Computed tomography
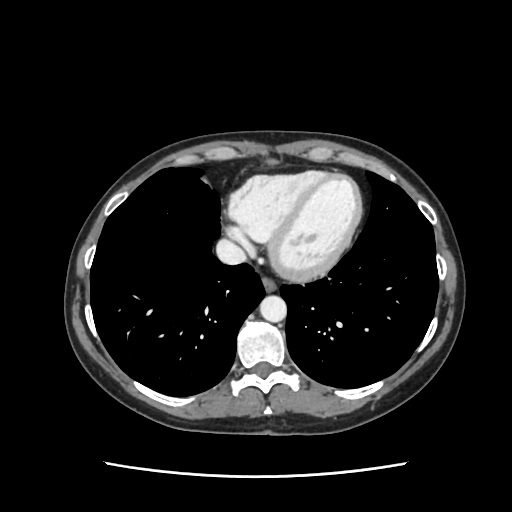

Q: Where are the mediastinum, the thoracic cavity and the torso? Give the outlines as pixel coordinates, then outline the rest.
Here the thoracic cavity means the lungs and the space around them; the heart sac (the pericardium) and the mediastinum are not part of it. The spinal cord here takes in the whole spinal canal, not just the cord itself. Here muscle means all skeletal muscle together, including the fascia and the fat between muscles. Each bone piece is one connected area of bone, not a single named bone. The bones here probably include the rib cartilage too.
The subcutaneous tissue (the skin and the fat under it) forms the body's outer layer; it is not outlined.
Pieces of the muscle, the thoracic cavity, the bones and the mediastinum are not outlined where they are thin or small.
A: The mediastinum appears in 3 outlined pieces: piece 1: (356, 241) (366, 223) (372, 194) (369, 172) (366, 170) (336, 162) (316, 162) (281, 152) (224, 162) (207, 161) (203, 166) (200, 177) (216, 191) (219, 199) (222, 199) (226, 188) (239, 168) (242, 165) (257, 161) (318, 164) (341, 169) (357, 180) (365, 199) (365, 219); piece 2: (282, 335) (285, 334) (284, 332) (284, 322) (286, 315) (286, 305) (279, 294) (279, 287) (281, 285) (260, 276) (254, 271) (258, 275) (262, 282) (262, 285) (264, 289) (264, 297) (254, 310) (244, 320) (241, 327) (248, 320) (254, 320) (255, 319) (264, 320) (276, 326); piece 3: (251, 267) (247, 259) (247, 257) (241, 247) (237, 243) (229, 239) (226, 236) (226, 235) (222, 231) (219, 224) (219, 236) (217, 240) (215, 242) (215, 244) (213, 247) (213, 255) (214, 257) (219, 262) (225, 265) (232, 266) (233, 265) (235, 265) (239, 263) (247, 263). The thoracic cavity appears in 2 outlined pieces: piece 1: (180, 397) (197, 394) (227, 375) (236, 355) (240, 326) (263, 297) (261, 282) (247, 264) (225, 266) (212, 255) (218, 236) (219, 200) (215, 191) (199, 177) (204, 163) (162, 169) (138, 186) (106, 219) (89, 272) (89, 299) (96, 329) (114, 361) (132, 379) (161, 393); piece 2: (337, 388) (360, 387) (394, 373) (411, 357) (434, 315) (439, 282) (435, 263) (433, 227) (399, 186) (372, 172) (370, 172) (370, 178) (373, 194) (368, 219) (358, 241) (327, 277) (307, 284) (284, 284) (280, 287) (280, 294) (287, 305) (285, 332) (290, 357) (310, 378). The torso is outlined by (272, 436) (324, 435) (355, 428) (400, 407) (433, 379) (455, 343) (464, 314) (465, 270) (458, 240) (445, 208) (422, 177) (397, 156) (365, 140) (282, 129) (224, 131) (185, 138) (130, 166) (107, 188) (84, 220) (66, 270) (66, 333) (87, 374) (130, 410) (183, 431). The muscle is outlined by (186, 419) (226, 418) (227, 417) (243, 417) (244, 416) (248, 416) (250, 418) (261, 417) (264, 415) (262, 412) (267, 405) (271, 408) (273, 412) (270, 415) (282, 415) (286, 412) (291, 412) (298, 414) (305, 414) (320, 418) (335, 417) (340, 414) (352, 412) (360, 408) (369, 401) (372, 400) (373, 401) (380, 398) (405, 381) (418, 370) (440, 348) (450, 330) (453, 318) (453, 312) (454, 311) (453, 304) (455, 301) (455, 293) (456, 292) (456, 285) (457, 284) (456, 263) (452, 252) (450, 250) (443, 234) (443, 230) (439, 217) (435, 208) (429, 199) (397, 171) (375, 156) (365, 153) (353, 147) (350, 147) (340, 143) (323, 139) (304, 139) (303, 140) (296, 140) (295, 141) (291, 141) (286, 143) (279, 143) (278, 144) (271, 144) (270, 143) (265, 143) (252, 140) (215, 140) (214, 141) (204, 142) (178, 150) (164, 156) (134, 178) (130, 179) (118, 186) (110, 194) (102, 206) (81, 247) (79, 249) (76, 259) (74, 296) (71, 307) (72, 311) (72, 324) (78, 340) (85, 351) (112, 378) (117, 381) (126, 392) (135, 398) (141, 400) (148, 405) (152, 406) (161, 411) (174, 416), around holes outlined by (172, 407) (196, 400) (196, 394) (219, 382) (236, 355) (245, 372) (238, 380) (231, 379) (233, 396) (247, 386) (267, 394) (277, 383) (297, 391) (300, 376) (282, 367) (284, 334) (292, 360) (310, 378) (336, 387) (336, 396) (356, 400) (380, 389) (382, 379) (415, 351) (422, 351) (438, 327) (435, 299) (447, 265) (435, 249) (433, 227) (438, 219) (433, 208) (421, 199) (414, 202) (384, 164) (343, 152) (338, 155) (342, 160) (364, 170) (281, 152) (230, 160) (235, 151) (221, 147) (205, 152) (205, 156) (228, 161) (202, 163) (204, 160) (195, 155) (177, 157) (173, 167) (156, 172) (131, 193) (120, 190) (113, 194) (104, 206) (107, 218) (98, 241) (86, 249) (83, 258) (89, 272) (85, 321) (138, 391) and by (316, 159) (317, 158) (318, 159) (322, 159) (323, 158) (327, 158) (328, 157) (330, 157) (332, 154) (332, 151) (329, 149) (326, 149) (325, 148) (316, 148) (315, 149) (313, 149) (309, 152) (309, 154) (310, 155) (311, 155) (312, 156) (312, 157) (313, 157). The spinal cord is outlined by (263, 378) (264, 378) (265, 377) (266, 377) (266, 376) (271, 371) (272, 371) (275, 369) (274, 368) (273, 368) (268, 363) (267, 363) (266, 362) (260, 362) (259, 363) (258, 363) (252, 369) (251, 369) (250, 370) (249, 370) (249, 372) (255, 372) (257, 374) (258, 374). The pericardium is outlined by (281, 284) (307, 283) (327, 276) (355, 243) (354, 240) (364, 219) (364, 199) (362, 190) (356, 180) (350, 175) (338, 169) (318, 165) (289, 165) (257, 162) (242, 166) (232, 179) (223, 196) (223, 199) (220, 200) (219, 223) (227, 236) (242, 247) (254, 270) (260, 275). The bones appear in 12 outlined pieces: piece 1: (235, 397) (247, 386) (254, 386) (264, 394) (267, 394) (277, 383) (285, 384) (295, 392) (300, 387) (300, 376) (295, 372) (289, 374) (282, 367) (285, 356) (283, 337) (276, 327) (267, 322) (248, 321) (237, 335) (237, 356) (245, 372) (238, 380) (230, 381) (231, 393); inner edge: (263, 378) (264, 378) (265, 377) (266, 377) (266, 376) (271, 371) (272, 371) (275, 369) (274, 368) (273, 368) (268, 363) (267, 363) (266, 362) (260, 362) (259, 363) (258, 363) (252, 369) (251, 369) (250, 370) (249, 370) (249, 372) (255, 372) (257, 374) (258, 374); piece 2: (172, 407) (182, 407) (196, 400) (197, 397) (195, 395) (193, 396) (190, 396) (189, 397) (186, 397) (185, 398) (167, 396) (166, 395) (161, 394) (158, 392) (156, 392) (133, 380) (132, 384) (138, 391) (155, 401) (157, 401) (162, 404) (164, 404) (168, 406) (171, 406); piece 3: (392, 182) (396, 182) (396, 178) (384, 164) (378, 163) (369, 159) (366, 159) (352, 154) (348, 154) (343, 152) (342, 153) (339, 153) (338, 156) (342, 160) (352, 162) (360, 166) (362, 166) (370, 171) (372, 171) (381, 175) (383, 177) (390, 180); piece 4: (346, 400) (356, 400) (357, 399) (360, 399) (365, 396) (373, 394) (379, 389) (380, 389) (384, 385) (384, 381) (383, 380) (380, 380) (375, 383) (370, 384) (367, 386) (364, 386) (360, 388) (355, 388) (354, 389) (334, 389) (333, 390) (333, 393) (336, 396) (343, 398); piece 5: (105, 217) (107, 217) (121, 203) (122, 203) (127, 198) (127, 197) (130, 193) (129, 191) (127, 191) (126, 190) (120, 190) (116, 192) (114, 194) (113, 194) (109, 198) (109, 199) (105, 204) (104, 206) (104, 209) (103, 210) (103, 213); piece 6: (418, 353) (422, 351) (425, 348) (425, 347) (430, 342) (434, 334) (436, 332) (436, 330) (438, 327) (438, 317) (437, 315) (435, 315) (433, 317) (428, 327) (428, 329) (420, 345) (416, 349) (416, 352); piece 7: (433, 226) (434, 226) (438, 222) (438, 219) (437, 218) (437, 216) (433, 208) (426, 201) (424, 200) (422, 200) (421, 199) (419, 199) (418, 200) (415, 200) (415, 202) (418, 208) (420, 210) (420, 211) (425, 216) (425, 217) (431, 223) (431, 224); piece 8: (222, 159) (229, 159) (230, 158) (232, 158) (235, 155) (235, 151) (232, 148) (229, 148) (228, 147) (221, 147) (220, 148) (218, 148) (217, 149) (214, 149) (213, 150) (211, 150) (210, 151) (208, 151) (207, 152) (205, 152) (205, 156) (207, 158) (221, 158); piece 9: (98, 340) (99, 338) (97, 335) (97, 333) (95, 329) (95, 325) (93, 321) (93, 316) (91, 311) (91, 307) (90, 306) (89, 300) (88, 299) (87, 300) (87, 302) (83, 307) (84, 317) (85, 318) (85, 321) (88, 327) (88, 329) (91, 333) (92, 336); piece 10: (174, 166) (180, 166) (181, 165) (187, 165) (188, 164) (193, 164) (194, 163) (201, 162) (203, 160) (204, 160) (202, 158) (201, 158) (198, 156) (196, 156) (195, 155) (185, 155) (184, 156) (177, 157) (174, 160) (174, 161) (171, 165) (173, 165); piece 11: (440, 282) (443, 281) (445, 279) (445, 278) (446, 277) (446, 274) (447, 273) (447, 265) (446, 264) (446, 261) (445, 260) (444, 257) (443, 256) (442, 256) (438, 252) (437, 252) (436, 253) (436, 263) (437, 264) (437, 272) (438, 273) (438, 276) (439, 277) (439, 281); piece 12: (88, 271) (89, 271) (90, 269) (90, 267) (91, 266) (91, 264) (93, 260) (93, 257) (95, 253) (95, 249) (96, 248) (96, 242) (93, 243) (89, 247) (88, 247) (86, 249) (85, 251) (85, 253) (84, 254) (84, 257) (83, 258) (83, 264) (84, 265) (84, 268).